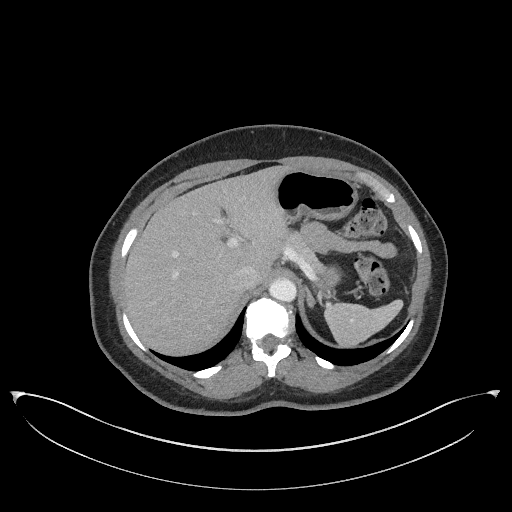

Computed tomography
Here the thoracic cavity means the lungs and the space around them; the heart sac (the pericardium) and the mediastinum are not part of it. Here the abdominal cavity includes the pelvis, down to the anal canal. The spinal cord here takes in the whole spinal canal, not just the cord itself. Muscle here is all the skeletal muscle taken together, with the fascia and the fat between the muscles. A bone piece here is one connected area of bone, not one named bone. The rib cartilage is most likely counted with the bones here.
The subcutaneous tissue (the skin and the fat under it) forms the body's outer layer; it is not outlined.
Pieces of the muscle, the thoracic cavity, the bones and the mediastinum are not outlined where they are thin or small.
The bones appear in 8 outlined pieces: piece 1: 269,377 273,377 275,375 277,362 287,356 291,351 287,342 289,340 288,336 294,329 295,316 283,305 264,296 251,301 246,306 243,331 245,336 250,340 252,358 254,360 261,360 266,364 268,369 267,375; inner edge: 265,351 272,351 273,350 274,350 275,349 276,346 280,342 280,340 277,337 276,337 271,334 267,334 265,336 264,336 260,340 260,341 259,342 260,343 260,346 261,347 262,347 264,349 264,350; piece 2: 389,202 394,202 395,201 395,197 393,193 392,193 379,181 378,181 369,174 367,174 365,172 362,172 361,171 358,171 356,172 356,175 360,179 371,186 376,191 377,191 378,193 379,193 386,201 388,201; piece 3: 144,351 148,351 148,349 143,345 143,344 136,335 135,332 133,330 133,328 131,326 131,324 127,317 127,315 125,311 124,311 122,313 122,319 123,320 124,326 128,334 133,340 133,341 141,349 142,349; piece 4: 384,353 389,353 391,352 403,341 403,340 406,337 406,336 410,331 413,325 413,322 414,320 412,318 410,318 410,319 406,324 404,329 402,331 400,335 393,342 393,343 383,352; piece 5: 122,258 125,258 127,254 127,252 133,240 135,238 138,232 138,229 136,227 133,227 131,228 127,232 125,236 125,238 124,239 124,241 123,242 123,244 121,248 121,257; piece 6: 200,378 205,378 206,377 209,377 213,374 216,373 219,370 220,370 222,367 220,362 216,365 214,365 211,367 209,367 205,369 202,369 201,370 198,370 197,371 194,371 192,373 192,375 195,377 199,377; piece 7: 419,254 420,254 422,252 422,247 421,246 421,242 420,241 420,240 419,239 419,237 418,236 416,231 414,229 414,228 410,224 407,224 407,228 409,231 409,235 416,248 416,250 417,251 417,252; piece 8: 329,369 333,369 335,367 335,365 334,364 333,364 331,362 330,362 329,361 327,361 326,360 325,360 324,359 319,357 317,355 316,355 315,354 314,357 315,358 317,363 322,367 324,367 325,368 328,368. The abdominal cavity is outlined by 171,356 192,355 213,347 249,301 278,276 287,277 298,287 296,314 320,342 352,349 390,337 409,319 419,275 418,255 395,207 364,182 280,163 260,163 172,197 139,231 122,277 126,312 137,335 150,350. The thoracic cavity appears in 2 outlined pieces: piece 1: 340,365 350,365 359,363 377,355 392,343 399,335 403,328 390,338 378,342 371,346 352,350 338,350 330,348 314,339 303,327 299,316 295,315 296,316 295,329 303,344 319,356 329,360 335,364 339,364; piece 2: 190,370 197,370 216,364 223,359 233,349 239,340 242,332 242,324 245,308 242,310 238,317 238,319 228,334 213,348 211,348 205,352 192,356 171,357 170,356 165,356 154,351 151,351 156,356 165,361. The muscle is outlined by 215,399 228,399 232,397 242,395 246,392 260,387 265,381 270,379 279,381 284,385 299,388 315,394 317,393 335,392 366,377 378,370 394,359 413,340 416,333 418,331 420,323 422,320 423,310 425,307 424,304 425,298 426,294 430,287 430,282 431,281 431,259 430,258 430,254 427,242 424,235 424,232 417,219 417,217 406,200 398,191 396,187 387,180 369,169 335,158 323,157 322,156 308,156 307,155 288,156 287,157 274,158 273,159 239,158 238,159 228,159 227,160 220,160 219,161 208,162 188,168 178,173 172,178 169,179 151,191 132,210 128,218 123,224 123,226 120,230 119,235 114,244 110,258 110,267 109,268 109,291 110,292 110,296 115,307 115,313 116,314 116,319 119,331 122,336 124,343 134,355 161,375 176,382 185,388 198,393 202,396 204,396 207,398 211,397 with a hole at 200,378 221,369 220,361 243,331 250,340 252,358 266,364 269,377 275,375 277,362 290,353 287,342 294,329 315,353 317,363 329,369 396,348 413,325 409,317 422,247 414,228 405,226 390,203 395,201 393,193 361,171 356,175 362,183 337,174 260,163 188,188 158,207 139,231 131,228 121,248 126,259 124,326 141,349 193,370 192,375. The spinal cord is outlined by 265,351 272,351 273,350 274,350 275,349 276,346 280,342 280,340 277,337 276,337 271,334 267,334 265,336 264,336 260,340 260,341 259,342 260,343 260,346 261,347 262,347 264,349 264,350. The torso is outlined by 210,416 244,415 277,406 321,410 358,405 396,391 424,363 441,320 448,274 446,245 413,189 381,154 348,137 313,127 280,123 234,127 159,160 132,184 105,223 88,269 91,323 100,349 137,389 159,404. The mediastinum is outlined by 295,314 295,311 297,306 297,299 296,298 297,297 296,294 297,287 292,281 289,280 287,278 284,278 283,277 275,278 272,280 255,298 253,299 258,298 264,295 268,296 283,304 289,309 290,312.